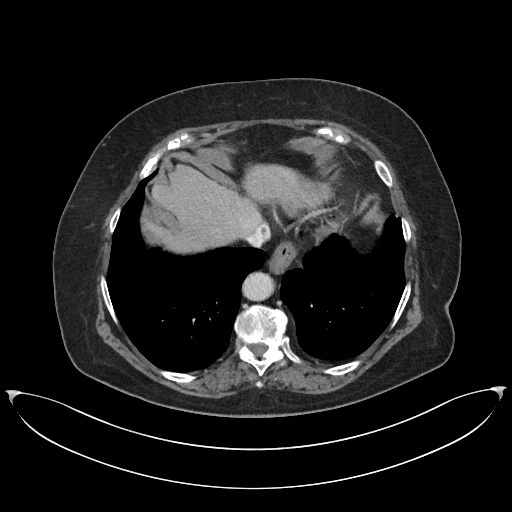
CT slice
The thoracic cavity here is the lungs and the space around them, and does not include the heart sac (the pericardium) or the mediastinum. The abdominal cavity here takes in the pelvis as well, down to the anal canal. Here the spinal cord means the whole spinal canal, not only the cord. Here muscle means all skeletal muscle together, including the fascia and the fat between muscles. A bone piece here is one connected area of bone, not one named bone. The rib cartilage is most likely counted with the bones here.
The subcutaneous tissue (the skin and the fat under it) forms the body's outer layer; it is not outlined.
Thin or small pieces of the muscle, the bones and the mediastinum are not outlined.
{"abdominal_cavity":[[[259,124],[341,144],[356,161],[362,172],[361,197],[376,192],[384,211],[382,235],[367,253],[350,249],[343,237],[348,214],[342,191],[322,177],[293,183],[272,216],[227,246],[185,256],[146,247],[140,212],[146,186],[162,158],[173,151],[195,152]]],"spinal_cord":[[[256,343],[262,343],[263,344],[265,344],[267,346],[267,349],[261,355],[261,356],[260,357],[257,357],[253,353],[253,352],[250,349],[250,348],[249,347],[249,346],[251,344],[255,344]]],"muscle":[{"outer":[[266,118],[291,118],[292,119],[294,118],[311,118],[312,119],[324,119],[325,120],[339,122],[351,127],[361,134],[368,137],[385,154],[395,171],[395,174],[397,177],[397,179],[399,181],[400,187],[403,193],[404,198],[416,225],[417,258],[419,263],[419,301],[420,302],[420,306],[423,318],[420,323],[411,332],[404,336],[398,342],[393,345],[379,360],[356,379],[341,388],[330,392],[321,393],[320,394],[304,394],[303,393],[296,393],[286,390],[278,390],[274,388],[261,388],[263,387],[264,383],[260,379],[258,379],[255,382],[255,386],[258,388],[241,390],[235,394],[228,396],[224,396],[218,398],[212,398],[211,397],[201,397],[200,396],[185,394],[151,379],[136,369],[122,356],[110,346],[106,344],[96,331],[95,328],[96,306],[97,305],[97,295],[96,294],[96,259],[100,247],[101,235],[102,234],[102,224],[108,213],[109,209],[138,167],[138,165],[141,160],[152,146],[169,133],[183,127],[207,125],[208,124],[213,124],[214,123],[225,122],[226,121],[233,121],[234,120],[265,119]],"holes":[[[259,124],[313,135],[319,127],[337,129],[351,139],[344,146],[387,166],[391,206],[411,231],[403,260],[410,295],[395,325],[356,357],[325,362],[297,345],[302,363],[284,358],[260,376],[239,358],[233,329],[221,357],[191,371],[195,379],[176,382],[158,373],[160,368],[115,324],[106,307],[100,275],[107,274],[110,259],[110,219],[130,199],[147,160],[168,140],[189,133],[194,140],[185,147],[191,148]],[[355,359],[360,359],[362,360],[362,362],[356,368],[344,374],[342,374],[341,375],[331,375],[330,374],[324,373],[322,371],[322,369],[324,368],[327,368],[328,367],[334,366],[335,365],[343,364],[344,363],[346,363],[349,361],[351,361]]]}],"thoracic_cavity":[[[156,169],[157,173],[145,186],[138,218],[146,248],[159,248],[185,257],[224,247],[250,246],[265,254],[261,267],[250,271],[241,283],[240,310],[226,351],[209,366],[190,372],[160,368],[136,347],[120,324],[106,278],[112,235],[122,209],[139,182]],[[392,212],[400,219],[405,243],[403,260],[405,283],[388,325],[356,357],[331,363],[305,355],[293,338],[295,319],[280,297],[283,275],[289,270],[301,269],[305,254],[332,234],[341,236],[347,242],[349,249],[357,255],[367,254],[382,237],[385,222]]],"bones":[{"outer":[[254,304],[279,308],[285,312],[288,317],[287,334],[290,338],[290,345],[292,349],[301,357],[303,361],[302,363],[296,363],[292,360],[284,358],[271,363],[260,376],[257,370],[250,363],[239,358],[234,345],[234,323],[238,313],[241,310]],"hole":[[256,343],[262,343],[263,344],[265,344],[267,346],[267,349],[261,355],[261,356],[260,357],[257,357],[253,353],[253,352],[250,349],[250,348],[249,347],[249,346],[251,344],[255,344]]},[[185,132],[189,133],[194,138],[194,140],[185,147],[180,147],[176,149],[167,150],[163,154],[162,157],[159,160],[156,166],[156,168],[148,176],[140,180],[139,179],[140,171],[147,160],[157,150],[163,147],[166,144],[168,140],[174,137],[176,137]],[[325,126],[326,127],[330,127],[334,129],[337,129],[341,131],[344,135],[347,135],[349,136],[351,140],[346,144],[342,144],[341,143],[337,143],[327,138],[323,135],[318,135],[316,134],[315,133],[315,129],[319,127],[324,127]],[[407,281],[410,281],[411,282],[411,291],[410,292],[409,298],[405,305],[405,307],[401,315],[399,317],[395,325],[391,329],[390,329],[389,328],[389,324],[392,320],[392,318],[394,315],[394,313],[396,310],[396,308],[402,295],[405,284]],[[355,359],[360,359],[362,360],[362,362],[356,368],[344,374],[342,374],[341,375],[331,375],[330,374],[324,373],[322,371],[322,369],[324,368],[327,368],[328,367],[334,366],[335,365],[343,364],[344,363],[346,363],[349,361],[351,361]],[[101,274],[103,274],[105,276],[106,282],[107,283],[107,288],[111,300],[111,303],[113,306],[113,309],[116,315],[116,317],[119,322],[118,325],[115,324],[113,321],[104,302],[104,299],[101,290],[101,286],[100,285],[100,275]],[[160,369],[163,369],[164,370],[167,370],[168,371],[172,371],[173,372],[178,372],[179,373],[192,373],[196,375],[196,378],[189,382],[181,382],[180,383],[179,382],[176,382],[173,380],[168,379],[164,377],[161,374],[158,373],[157,371]],[[375,159],[379,159],[380,160],[381,160],[387,166],[387,167],[389,170],[389,172],[391,175],[391,178],[392,179],[392,186],[391,187],[387,187],[384,184],[384,183],[380,179],[380,178],[378,176],[378,175],[374,168],[374,166],[373,165],[373,162]],[[402,216],[403,216],[407,220],[407,221],[409,224],[409,227],[410,228],[410,230],[411,231],[411,236],[410,237],[410,239],[408,242],[405,242],[405,241],[404,240],[404,237],[403,236],[403,232],[402,231],[402,226],[401,225],[401,219],[400,218]],[[118,207],[121,207],[122,208],[121,209],[121,211],[120,212],[120,214],[119,215],[119,217],[118,218],[117,223],[115,226],[114,231],[112,234],[110,234],[110,233],[109,232],[109,223],[110,222],[110,219],[111,218],[111,217],[113,215],[115,210]]],"torso":[[[282,77],[323,78],[369,89],[403,108],[424,133],[450,190],[461,228],[461,268],[449,305],[455,338],[447,361],[367,399],[280,417],[223,417],[172,409],[80,372],[61,337],[54,303],[52,251],[62,210],[95,146],[123,116],[161,95],[214,82]]],"pericardium":[[[312,178],[322,178],[326,181],[338,186],[341,191],[343,199],[345,202],[347,218],[342,236],[337,233],[332,233],[326,237],[317,246],[314,246],[310,248],[304,254],[294,246],[280,226],[273,212],[282,199],[283,196],[293,184],[303,179],[311,179]]],"mediastinum":[[[273,216],[293,246],[304,255],[301,268],[289,269],[282,275],[279,289],[280,300],[294,319],[292,338],[296,351],[288,334],[289,317],[283,309],[259,303],[241,309],[242,283],[250,272],[262,267],[266,256],[264,250],[250,245],[228,246],[241,241]],[[344,146],[358,150],[363,153],[371,161],[377,176],[385,186],[385,189],[393,209],[393,211],[388,215],[385,221],[385,211],[380,199],[380,195],[376,191],[367,191],[362,197],[363,172],[357,163],[355,162],[357,161],[349,154]]]}